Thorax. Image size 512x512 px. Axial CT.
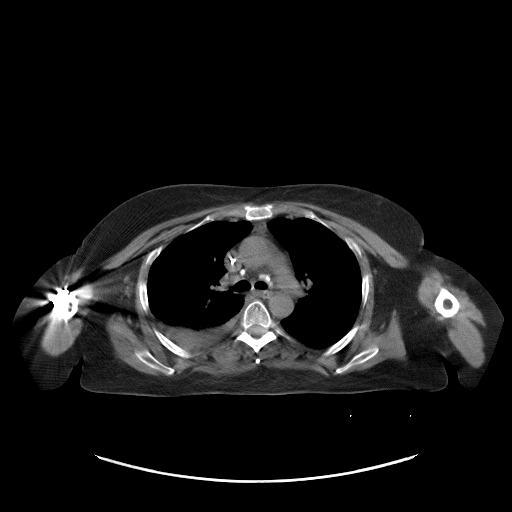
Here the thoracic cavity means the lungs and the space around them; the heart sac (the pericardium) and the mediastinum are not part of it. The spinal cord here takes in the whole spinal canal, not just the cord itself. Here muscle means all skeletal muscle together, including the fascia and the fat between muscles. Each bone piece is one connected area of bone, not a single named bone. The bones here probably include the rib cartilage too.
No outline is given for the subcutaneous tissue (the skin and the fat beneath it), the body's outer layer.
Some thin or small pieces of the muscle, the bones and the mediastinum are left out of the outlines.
{"right_arm":[[[79,246],[86,252],[89,257],[91,262],[93,279],[91,310],[86,330],[83,350],[78,363],[73,368],[67,380],[61,386],[51,390],[42,390],[37,387],[20,354],[11,328],[12,318],[20,301],[28,292],[35,281],[56,261],[68,254],[73,253]]],"left_arm":[[[425,247],[433,250],[438,255],[454,261],[471,273],[492,295],[503,315],[503,321],[501,324],[501,327],[490,358],[477,383],[470,391],[464,388],[459,383],[455,368],[446,359],[444,359],[442,357],[420,326],[419,319],[417,317],[416,313],[416,278]]],"bones":[{"outer":[[256,299],[260,300],[264,304],[268,310],[270,316],[279,324],[283,330],[290,337],[290,339],[279,337],[276,340],[272,340],[265,344],[257,353],[246,343],[242,341],[234,342],[233,340],[234,331],[239,327],[239,321],[242,317],[243,309],[247,304]],"hole":[[255,324],[256,324],[257,325],[258,325],[259,326],[260,326],[263,328],[263,332],[262,333],[262,334],[261,335],[260,335],[257,337],[256,337],[255,336],[253,336],[248,331],[248,330],[250,328],[250,327],[251,327],[253,325],[254,325]]},[[268,203],[275,206],[287,206],[291,209],[304,208],[311,210],[323,219],[331,229],[314,219],[300,216],[293,210],[290,210],[271,218],[257,220],[247,220],[241,217],[225,216],[209,221],[185,232],[189,227],[208,214],[244,205],[253,206]],[[440,287],[443,287],[447,289],[452,294],[453,294],[458,300],[460,304],[460,308],[458,310],[458,311],[452,317],[448,317],[447,318],[445,318],[443,317],[436,310],[435,308],[435,306],[434,305],[434,301],[435,300],[435,298],[436,296],[439,292]],[[61,295],[66,295],[67,296],[74,296],[76,298],[76,302],[77,303],[77,306],[78,307],[78,309],[75,315],[70,319],[67,319],[66,320],[59,320],[57,318],[56,318],[54,314],[54,309],[55,308],[56,303],[59,297]],[[374,345],[378,347],[378,351],[377,353],[373,357],[370,358],[368,360],[360,364],[356,364],[355,365],[353,365],[343,373],[340,373],[339,374],[337,374],[335,373],[335,370],[336,368],[338,367],[340,367],[346,364],[354,355]],[[144,349],[148,350],[156,359],[157,359],[163,364],[167,366],[172,367],[174,369],[174,372],[172,374],[164,374],[161,371],[159,371],[153,368],[151,368],[147,365],[144,364],[141,361],[140,361],[136,356],[135,354],[135,351],[141,351]],[[356,324],[360,325],[360,327],[357,330],[356,333],[351,339],[351,340],[342,349],[335,353],[330,354],[324,357],[321,357],[321,353],[326,348],[327,348],[329,346],[332,345],[334,343],[338,341],[342,337],[343,337],[352,328],[352,327],[354,325]],[[155,328],[157,329],[161,333],[162,333],[172,342],[178,345],[180,347],[182,347],[188,350],[194,355],[192,357],[185,358],[184,357],[179,356],[173,353],[171,351],[170,351],[167,348],[166,348],[159,341],[159,340],[155,335],[153,331],[153,329]],[[139,280],[143,280],[144,281],[146,281],[146,289],[147,290],[147,299],[148,300],[148,305],[149,306],[149,310],[147,312],[145,312],[143,310],[142,308],[142,306],[139,300],[139,295],[138,294],[138,286],[137,285],[138,284],[138,281]],[[365,273],[367,273],[368,274],[369,274],[369,290],[368,291],[368,294],[367,295],[367,299],[366,300],[366,302],[365,303],[365,304],[363,306],[362,306],[361,305],[361,294],[362,293],[362,275],[363,274],[364,274]],[[346,236],[347,236],[348,237],[350,237],[359,246],[359,247],[361,250],[361,257],[359,259],[357,259],[357,258],[355,256],[355,255],[354,254],[354,253],[350,249],[350,248],[347,245],[347,244],[345,242],[345,241],[343,239],[343,238]],[[159,245],[162,245],[163,246],[163,248],[161,250],[161,251],[159,253],[159,254],[157,256],[157,257],[152,262],[152,263],[150,265],[150,266],[149,267],[146,267],[145,266],[145,261],[147,258],[147,256],[148,255],[148,253],[152,249],[157,247]]],"muscle":[{"outer":[[273,201],[310,203],[349,217],[375,232],[412,264],[431,266],[450,276],[456,285],[467,292],[483,315],[486,324],[483,363],[477,368],[472,367],[420,303],[416,296],[422,277],[419,270],[414,267],[394,268],[370,254],[368,258],[376,271],[373,319],[379,323],[388,322],[392,310],[397,310],[407,353],[406,360],[388,358],[366,369],[344,373],[373,358],[379,351],[379,347],[374,344],[336,367],[336,375],[326,376],[310,369],[258,365],[239,374],[226,376],[159,376],[139,371],[117,358],[104,324],[116,311],[135,318],[133,296],[136,285],[141,308],[145,313],[149,311],[155,327],[152,329],[154,335],[166,349],[185,359],[195,355],[191,352],[202,352],[216,346],[233,332],[234,343],[242,342],[256,354],[272,341],[279,338],[290,340],[292,337],[306,346],[323,350],[320,357],[324,358],[339,352],[352,340],[361,327],[358,323],[354,324],[360,306],[363,307],[367,302],[370,290],[370,274],[361,274],[358,262],[362,257],[360,246],[350,236],[346,235],[342,239],[311,209],[275,205],[268,202]],"holes":[[[440,287],[443,287],[447,289],[452,294],[453,294],[458,300],[460,304],[460,308],[458,310],[458,311],[452,317],[448,317],[447,318],[445,318],[443,317],[436,310],[435,308],[435,306],[434,305],[434,301],[435,300],[435,298],[436,296],[439,292]],[[144,349],[148,350],[156,359],[157,359],[163,364],[167,366],[172,367],[174,369],[174,372],[172,374],[164,374],[161,371],[159,371],[153,368],[151,368],[147,365],[144,364],[141,361],[140,361],[136,356],[135,354],[135,351],[141,351]]]},{"outer":[[79,276],[95,277],[99,280],[96,293],[94,299],[91,303],[90,306],[91,308],[86,318],[84,327],[72,345],[64,352],[57,356],[45,355],[39,348],[37,339],[36,325],[39,320],[38,309],[40,307],[40,303],[47,292],[53,286],[60,282]],"hole":[[61,295],[66,295],[67,296],[74,296],[76,298],[76,302],[77,303],[77,306],[78,307],[78,309],[75,315],[70,319],[67,319],[66,320],[59,320],[57,318],[56,318],[54,314],[54,309],[55,308],[56,303],[59,297]]},[[250,201],[256,204],[263,204],[244,204],[208,213],[164,247],[159,244],[152,248],[147,253],[144,261],[144,266],[149,268],[146,280],[138,280],[140,255],[120,267],[103,268],[102,263],[106,259],[126,246],[140,233],[160,222],[209,207]]],"torso":[[[176,183],[242,186],[338,183],[374,191],[405,207],[424,232],[425,246],[415,278],[415,313],[419,326],[443,359],[447,385],[433,392],[413,389],[167,397],[98,393],[82,388],[80,360],[92,310],[94,279],[90,257],[79,245],[106,214],[126,199]]],"thoracic_cavity":[[[223,219],[234,222],[244,219],[251,224],[249,233],[232,245],[223,258],[229,276],[229,285],[235,287],[234,291],[243,297],[242,313],[238,327],[219,343],[202,351],[190,351],[172,341],[153,323],[148,299],[148,274],[153,262],[175,238],[209,222]],[[282,216],[289,219],[295,217],[311,219],[333,231],[353,253],[359,266],[361,275],[360,305],[354,323],[343,336],[324,349],[306,345],[288,334],[280,325],[280,322],[293,312],[301,295],[300,282],[296,277],[290,254],[276,239],[267,225],[271,219]]],"spinal_cord":[[[255,324],[256,324],[257,325],[258,325],[259,326],[260,326],[263,328],[263,332],[262,333],[262,334],[261,335],[260,335],[257,337],[256,337],[255,336],[253,336],[248,331],[248,330],[250,328],[250,327],[251,327],[253,325],[254,325]]],"mediastinum":[[[264,219],[270,219],[267,222],[267,228],[289,254],[295,277],[299,282],[300,295],[294,308],[279,323],[271,316],[260,299],[253,299],[244,307],[244,297],[235,291],[235,286],[230,285],[230,276],[224,263],[226,252],[250,233],[252,229],[250,221]]]}